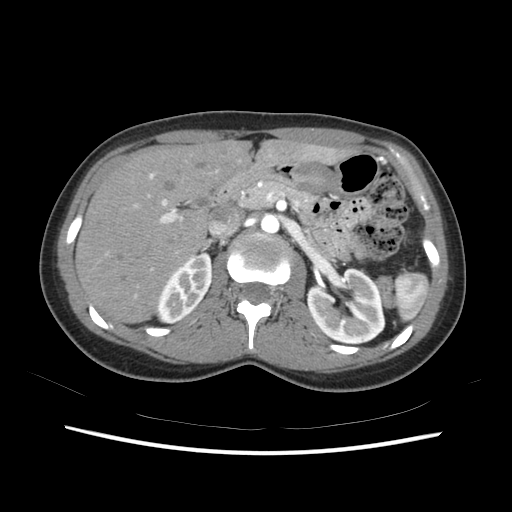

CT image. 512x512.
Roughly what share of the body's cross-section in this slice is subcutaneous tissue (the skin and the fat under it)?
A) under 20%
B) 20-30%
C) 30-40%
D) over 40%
Answer: A) under 20%
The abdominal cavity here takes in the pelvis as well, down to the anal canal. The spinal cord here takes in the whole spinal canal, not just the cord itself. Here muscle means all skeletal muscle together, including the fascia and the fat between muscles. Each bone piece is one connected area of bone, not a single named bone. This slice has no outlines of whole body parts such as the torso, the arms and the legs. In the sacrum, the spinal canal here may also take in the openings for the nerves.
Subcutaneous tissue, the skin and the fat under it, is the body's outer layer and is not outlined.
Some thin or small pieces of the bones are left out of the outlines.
spinal cord: 249 282; 260 282; 261 283; 269 285; 271 287; 271 291; 270 292; 271 294; 271 297; 270 297; 269 299; 268 299; 266 301; 263 301; 257 304; 253 304; 251 303; 247 299; 242 297; 241 293; 240 292; 241 285; 244 283; 248 283
muscle: 290 126; 339 128; 374 137; 389 138; 409 149; 420 162; 440 205; 445 220; 445 234; 448 246; 450 275; 441 308; 430 331; 423 339; 412 348; 387 361; 354 370; 322 374; 311 371; 280 368; 250 355; 245 355; 221 363; 172 364; 109 342; 90 331; 78 320; 70 308; 64 287; 54 266; 54 253; 59 229; 63 223; 74 193; 87 171; 99 158; 119 145; 171 130; 187 128; 253 130; inner edges: 254 134; 372 152; 389 162; 423 218; 421 235; 440 258; 404 343; 389 350; 390 338; 354 353; 332 350; 304 301; 306 263; 294 250; 290 276; 275 290; 275 308; 257 322; 252 349; 246 320; 233 299; 237 285; 226 267; 227 251; 213 260; 207 293; 167 327; 167 334; 153 336; 142 327; 110 322; 107 330; 93 322; 88 302; 76 289; 74 243; 65 238; 96 188; 115 169; 158 149, then 383 142; 386 142; 391 144; 400 153; 406 157; 413 173; 421 184; 424 190; 425 196; 427 198; 427 200; 430 205; 430 209; 428 211; 425 211; 414 197; 412 188; 406 171; 400 164; 395 156; 390 151; 388 147; 386 146
bones 1: 256 232; 267 236; 279 237; 287 243; 290 250; 291 273; 288 280; 275 290; 275 308; 268 316; 262 317; 257 322; 253 335; 253 348; 249 349; 248 326; 244 316; 236 310; 233 295; 237 285; 228 273; 226 260; 234 240 with a hole at 249 282; 260 282; 261 283; 269 285; 271 287; 271 291; 270 292; 271 294; 271 297; 270 297; 269 299; 268 299; 266 301; 263 301; 257 304; 253 304; 251 303; 247 299; 242 297; 241 293; 240 292; 241 285; 244 283; 248 283
bones 2: 383 142; 386 142; 391 144; 400 153; 406 157; 413 173; 421 184; 424 190; 425 196; 427 198; 427 200; 430 205; 430 209; 428 211; 425 211; 414 197; 412 188; 406 171; 400 164; 395 156; 390 151; 388 147; 386 146
bones 3: 423 236; 426 236; 433 243; 433 244; 435 246; 435 247; 438 251; 438 253; 439 254; 439 257; 440 258; 440 263; 439 264; 439 266; 434 269; 432 268; 431 266; 431 264; 428 259; 428 257; 425 252; 425 250; 422 245; 422 237
bones 4: 79 212; 81 212; 82 213; 82 222; 81 223; 81 225; 77 232; 77 234; 75 236; 74 241; 70 244; 67 244; 65 242; 65 238; 66 237; 66 233; 67 232; 68 227; 71 223; 71 222; 74 219; 74 218; 76 216; 76 215
bones 5: 412 323; 413 324; 413 329; 411 332; 411 334; 406 340; 406 341; 404 343; 403 343; 398 347; 397 347; 394 349; 392 349; 391 350; 389 350; 389 345; 391 343; 393 338; 394 337; 395 337; 400 332; 401 332; 408 325; 409 325
bones 6: 89 303; 93 306; 93 307; 97 311; 97 312; 107 322; 107 324; 109 326; 109 330; 104 329; 103 328; 100 327; 98 325; 97 325; 93 322; 93 321; 90 317; 90 315; 89 314; 89 311; 88 310; 88 304
bones 7: 332 343; 334 344; 339 344; 340 345; 347 345; 348 346; 357 346; 359 347; 359 349; 356 352; 354 353; 350 353; 349 354; 342 354; 341 353; 339 353; 338 352; 336 352; 332 350; 329 347; 329 345
abdominal cavity: 254 134; 376 153; 396 172; 424 221; 421 245; 431 281; 418 315; 395 336; 372 346; 332 342; 304 301; 303 257; 281 237; 258 231; 215 256; 207 293; 167 327; 115 327; 78 292; 74 242; 90 197; 115 169; 161 148